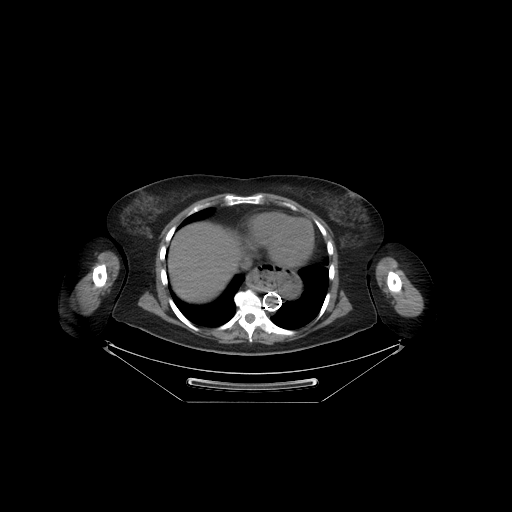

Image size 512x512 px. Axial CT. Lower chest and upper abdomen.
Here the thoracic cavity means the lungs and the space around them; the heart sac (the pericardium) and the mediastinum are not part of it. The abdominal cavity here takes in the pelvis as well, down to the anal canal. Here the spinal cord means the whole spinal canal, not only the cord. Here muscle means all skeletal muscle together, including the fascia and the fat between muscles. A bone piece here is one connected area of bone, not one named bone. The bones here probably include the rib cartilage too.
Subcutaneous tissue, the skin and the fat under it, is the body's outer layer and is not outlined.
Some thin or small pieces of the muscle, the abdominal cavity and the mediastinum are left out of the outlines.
Outlined structures:
muscle 1: (221, 193) (227, 193) (222, 198) (224, 205) (213, 205) (214, 203) (212, 201) (197, 203) (187, 212) (186, 216) (177, 226) (173, 225) (169, 228) (164, 236) (164, 241) (167, 244) (167, 246) (166, 244) (163, 244) (161, 245) (158, 252) (159, 259) (162, 262) (164, 261) (165, 263) (165, 267) (162, 267) (159, 272) (160, 281) (164, 286) (167, 286) (168, 288) (170, 294) (170, 297) (168, 298) (168, 303) (173, 313) (190, 329) (198, 332) (200, 330) (198, 326) (201, 326) (216, 327) (216, 330) (222, 331) (231, 329) (235, 324) (237, 324) (246, 332) (248, 342) (220, 343) (215, 339) (197, 336) (143, 309) (137, 304) (139, 297) (145, 291) (149, 290) (152, 292) (155, 289) (155, 257) (158, 248) (158, 236) (165, 225) (178, 213) (195, 201)
muscle 2: (261, 192) (272, 193) (292, 199) (311, 210) (325, 221) (333, 233) (333, 240) (338, 254) (338, 287) (344, 291) (352, 305) (352, 309) (347, 314) (335, 319) (331, 323) (301, 338) (290, 341) (275, 342) (272, 344) (252, 342) (253, 333) (257, 327) (259, 327) (268, 334) (293, 336) (296, 334) (297, 329) (306, 325) (314, 319) (314, 321) (316, 322) (325, 312) (331, 296) (330, 292) (328, 291) (329, 281) (332, 281) (335, 275) (335, 266) (332, 262) (329, 263) (329, 256) (331, 256) (334, 253) (334, 246) (331, 240) (327, 239) (325, 241) (324, 238) (327, 236) (327, 231) (316, 218) (314, 218) (312, 221) (309, 217) (300, 212) (293, 203) (289, 201) (282, 200) (276, 203) (266, 203) (267, 198) (265, 194)
muscle 3: (99, 249) (101, 250) (110, 250) (115, 253) (119, 259) (120, 268) (118, 275) (114, 281) (114, 285) (110, 294) (104, 300) (100, 307) (98, 309) (93, 311) (92, 313) (83, 316) (73, 311) (68, 307) (70, 295) (75, 284) (90, 266) (92, 262) (92, 257) (94, 253); inner edge: (103, 263) (105, 264) (106, 266) (106, 272) (107, 273) (107, 278) (103, 286) (101, 287) (96, 287) (94, 285) (94, 283) (92, 279) (92, 274) (93, 273) (93, 269) (96, 265) (98, 264) (102, 264)
muscle 4: (386, 256) (390, 256) (394, 258) (398, 262) (399, 267) (404, 272) (411, 283) (420, 292) (423, 298) (424, 307) (422, 312) (419, 315) (414, 317) (401, 316) (398, 314) (390, 305) (381, 291) (381, 289) (379, 287) (376, 280) (375, 267) (378, 261) (381, 258), around a hole outlined by (389, 271) (394, 271) (396, 273) (397, 273) (397, 274) (399, 276) (401, 280) (401, 289) (400, 291) (398, 292) (392, 292) (390, 291) (390, 290) (388, 288) (388, 286) (387, 285) (387, 283) (386, 281) (387, 280) (387, 274)
pericardium: (255, 208) (276, 208) (288, 210) (295, 213) (301, 213) (309, 218) (313, 222) (317, 234) (316, 256) (305, 265) (296, 269) (292, 269) (278, 263) (272, 263) (263, 257) (248, 257) (244, 250) (244, 246) (240, 241) (240, 238) (234, 231) (234, 225) (244, 214)
abdominal cavity 1: (208, 217) (215, 218) (233, 226) (233, 231) (243, 246) (247, 260) (245, 262) (245, 267) (242, 268) (239, 273) (233, 276) (225, 289) (216, 299) (205, 304) (192, 304) (180, 299) (174, 293) (168, 281) (165, 262) (167, 247) (176, 230) (190, 222)
abdominal cavity 2: (260, 263) (278, 264) (279, 265) (284, 266) (287, 268) (289, 268) (294, 271) (299, 277) (299, 279) (301, 282) (301, 290) (300, 292) (293, 298) (285, 298) (275, 291) (264, 291) (248, 285) (245, 282) (245, 276) (246, 275) (246, 273) (254, 267) (257, 266)
left arm: (389, 241) (399, 242) (414, 252) (424, 263) (432, 278) (435, 288) (437, 323) (435, 328) (427, 335) (425, 335) (423, 337) (398, 339) (398, 337) (396, 334) (382, 322) (376, 310) (375, 303) (372, 297) (370, 286) (369, 285) (369, 269) (371, 262) (376, 252) (386, 242)
torso: (192, 173) (241, 178) (269, 174) (314, 176) (344, 185) (367, 199) (384, 225) (385, 242) (368, 269) (369, 290) (379, 318) (376, 323) (349, 337) (312, 348) (245, 356) (188, 348) (116, 321) (111, 315) (125, 283) (128, 256) (124, 246) (108, 233) (109, 209) (136, 188)
mediastinum 1: (270, 203) (276, 204) (291, 210) (277, 208) (276, 207) (255, 207) (244, 213) (233, 225) (226, 223) (219, 219) (217, 219) (215, 217) (210, 217) (214, 212) (214, 207) (212, 206) (216, 205) (220, 205) (221, 206) (233, 206) (240, 204) (261, 205) (262, 204) (269, 204)
mediastinum 2: (244, 280) (244, 282) (250, 287) (264, 292) (275, 292) (285, 299) (293, 299) (299, 294) (299, 295) (298, 297) (294, 300) (287, 300) (283, 302) (276, 310) (275, 313) (269, 316) (262, 307) (262, 301) (261, 299) (253, 290) (249, 288) (243, 290) (239, 290) (240, 286)
mediastinum 3: (314, 224) (318, 229) (319, 232) (321, 234) (325, 242) (325, 249) (326, 250) (326, 253) (327, 255) (326, 255) (323, 258) (321, 262) (321, 264) (310, 264) (309, 265) (306, 265) (312, 260) (313, 260) (318, 254) (318, 234) (317, 233) (317, 229) (315, 227)
mediastinum 4: (248, 258) (255, 258) (256, 259) (261, 259) (263, 258) (265, 260) (267, 260) (268, 262) (271, 263) (269, 263) (268, 262) (260, 262) (257, 265) (254, 266) (248, 270) (245, 273) (245, 275) (244, 275) (242, 273) (240, 273) (240, 271) (246, 267) (246, 262) (248, 260)
spinal cord: (247, 314) (248, 314) (249, 314) (250, 314) (251, 314) (252, 314) (253, 315) (254, 316) (254, 317) (254, 318) (253, 319) (253, 320) (252, 321) (251, 321) (250, 322) (249, 322) (248, 321) (247, 321) (246, 320) (246, 319) (246, 318) (245, 317) (246, 316) (246, 315)
thoracic cavity 1: (326, 256) (328, 256) (328, 265) (327, 266) (328, 285) (322, 304) (316, 316) (306, 324) (296, 329) (285, 328) (279, 326) (273, 322) (271, 320) (270, 316) (274, 315) (283, 303) (287, 301) (296, 300) (304, 289) (304, 283) (298, 275) (299, 269) (310, 265) (321, 265)
thoracic cavity 2: (237, 274) (242, 274) (244, 276) (244, 279) (233, 296) (233, 301) (236, 306) (235, 312) (226, 322) (218, 326) (202, 326) (194, 324) (178, 308) (171, 297) (168, 287) (168, 284) (169, 284) (173, 293) (183, 302) (192, 305) (205, 305) (216, 300) (226, 289) (234, 276)
thoracic cavity 3: (209, 207) (213, 207) (213, 212) (211, 215) (207, 217) (204, 217) (201, 219) (196, 219) (193, 221) (190, 221) (188, 223) (186, 223) (184, 225) (179, 227) (177, 229) (177, 227) (186, 217) (196, 212) (198, 212) (200, 210) (202, 210) (203, 209) (205, 209)
right arm: (98, 235) (104, 236) (110, 235) (115, 238) (123, 246) (127, 256) (127, 267) (125, 279) (122, 289) (115, 301) (114, 308) (107, 320) (107, 323) (104, 329) (97, 335) (86, 338) (77, 338) (67, 334) (60, 327) (56, 312) (56, 301) (63, 277) (73, 256) (86, 242)
bones 1: (247, 289) (257, 295) (261, 301) (261, 307) (273, 323) (285, 329) (295, 330) (295, 334) (283, 335) (268, 333) (257, 326) (252, 333) (252, 341) (249, 342) (247, 332) (237, 323) (231, 328) (216, 329) (226, 323) (235, 314) (237, 309) (234, 301) (235, 294) (238, 291); inner edge: (247, 314) (248, 314) (249, 314) (250, 314) (251, 314) (252, 314) (253, 315) (254, 316) (254, 317) (254, 318) (253, 319) (253, 320) (252, 321) (251, 321) (250, 322) (249, 322) (248, 321) (247, 321) (246, 320) (246, 319) (246, 318) (245, 317) (246, 316) (246, 315)
bones 2: (228, 193) (230, 193) (234, 195) (240, 195) (241, 196) (247, 196) (248, 195) (253, 195) (258, 193) (262, 193) (264, 194) (266, 199) (265, 200) (265, 203) (262, 203) (261, 204) (240, 203) (239, 204) (234, 204) (233, 205) (225, 205) (223, 201) (223, 198) (224, 196)
bones 3: (103, 263) (105, 264) (106, 266) (106, 272) (107, 273) (107, 278) (103, 286) (101, 287) (96, 287) (94, 285) (94, 283) (92, 279) (92, 274) (93, 273) (93, 269) (96, 265) (98, 264) (102, 264)
bones 4: (389, 271) (394, 271) (396, 273) (397, 273) (397, 274) (399, 276) (401, 280) (401, 289) (400, 291) (398, 292) (392, 292) (390, 291) (390, 290) (388, 288) (388, 286) (387, 285) (387, 283) (386, 281) (387, 280) (387, 274)
bones 5: (169, 298) (171, 298) (172, 299) (175, 305) (181, 312) (181, 313) (188, 320) (189, 320) (194, 325) (197, 326) (199, 328) (199, 330) (198, 331) (196, 331) (190, 328) (186, 324) (185, 324) (177, 317) (177, 316) (174, 313) (173, 310) (170, 306) (170, 304) (169, 303)
bones 6: (205, 202) (212, 202) (213, 203) (213, 204) (211, 206) (209, 206) (208, 207) (206, 207) (205, 208) (203, 208) (202, 209) (200, 209) (198, 211) (196, 211) (187, 216) (187, 214) (188, 213) (188, 212) (195, 205) (196, 205) (197, 204) (201, 204) (202, 203) (204, 203)
bones 7: (327, 292) (329, 292) (330, 294) (330, 296) (329, 297) (329, 301) (327, 304) (327, 306) (324, 312) (319, 318) (319, 319) (315, 321) (315, 318) (317, 316) (317, 315) (320, 311) (320, 309) (323, 304) (323, 302) (324, 301) (324, 299) (325, 298) (325, 296)
bones 8: (282, 201) (285, 201) (286, 202) (289, 202) (290, 203) (293, 204) (297, 208) (298, 211) (295, 211) (294, 210) (292, 210) (290, 208) (289, 208) (288, 207) (286, 207) (285, 206) (283, 206) (282, 205) (280, 205) (279, 204) (277, 204) (277, 203) (278, 202) (281, 202)
bones 9: (162, 268) (165, 268) (165, 270) (166, 271) (166, 273) (167, 274) (167, 281) (168, 282) (168, 283) (167, 284) (167, 285) (164, 285) (162, 283) (162, 282) (161, 281) (161, 275) (160, 274) (160, 272) (161, 271) (161, 269)
bones 10: (314, 219) (316, 219) (323, 226) (323, 227) (325, 229) (325, 230) (326, 231) (326, 236) (325, 237) (323, 237) (323, 236) (322, 235) (322, 234) (320, 232) (320, 231) (319, 230) (319, 229) (317, 227) (317, 226) (314, 223) (314, 222) (313, 221) (313, 220)
bones 11: (173, 226) (176, 226) (176, 229) (175, 230) (175, 231) (173, 233) (173, 235) (171, 237) (171, 238) (170, 239) (170, 240) (167, 243) (165, 241) (165, 236) (166, 235) (166, 234) (168, 232) (168, 231) (170, 229) (170, 228) (171, 227) (172, 227)
bones 12: (163, 245) (166, 245) (166, 253) (165, 254) (165, 260) (164, 260) (163, 261) (162, 261) (160, 259) (160, 257) (159, 256) (159, 252) (160, 251) (160, 248) (161, 247) (161, 246) (162, 246)
bones 13: (327, 240) (329, 240) (330, 241) (331, 241) (331, 242) (332, 243) (332, 245) (333, 246) (333, 253) (331, 255) (328, 255) (328, 254) (327, 253) (327, 250) (326, 249) (326, 241)
bones 14: (330, 263) (332, 263) (333, 264) (333, 265) (334, 266) (334, 275) (333, 276) (333, 278) (332, 279) (332, 280) (329, 280) (329, 270) (328, 269) (328, 266) (329, 265) (329, 264)